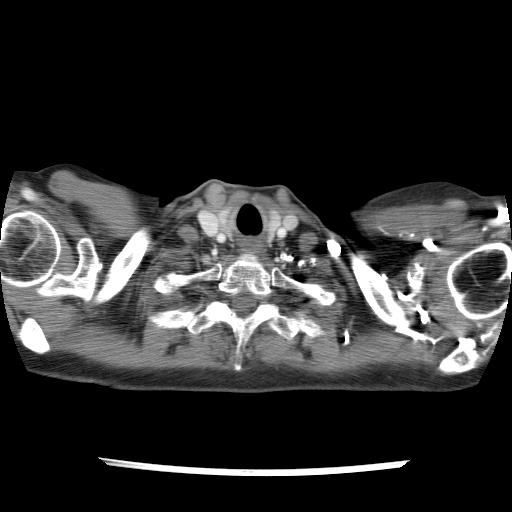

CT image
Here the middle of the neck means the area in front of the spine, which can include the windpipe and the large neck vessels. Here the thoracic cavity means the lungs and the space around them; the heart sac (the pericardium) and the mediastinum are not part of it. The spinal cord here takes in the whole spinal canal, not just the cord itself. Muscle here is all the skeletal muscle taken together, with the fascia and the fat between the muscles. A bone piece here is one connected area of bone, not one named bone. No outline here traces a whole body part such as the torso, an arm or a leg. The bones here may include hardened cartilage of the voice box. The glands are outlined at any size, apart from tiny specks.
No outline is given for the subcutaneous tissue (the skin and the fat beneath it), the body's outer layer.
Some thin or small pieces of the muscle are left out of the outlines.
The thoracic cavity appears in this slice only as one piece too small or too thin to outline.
The spinal cord is outlined by 244 290; 257 296; 257 300; 258 301; 257 302; 257 304; 256 305; 255 308; 251 312; 250 312; 248 314; 247 314; 244 316; 241 316; 240 315; 239 315; 231 306; 231 305; 230 304; 230 297; 231 297; 232 296; 234 296. The bones appear in 6 outlined pieces: piece 1: 242 253; 268 271; 321 284; 336 299; 320 305; 275 287; 282 313; 299 311; 326 332; 300 331; 289 340; 263 322; 241 349; 237 371; 226 323; 193 334; 147 317; 193 306; 215 285; 195 281; 166 295; 152 286; 159 275; 225 267, around a hole outlined by 244 290; 257 296; 257 300; 258 301; 257 302; 257 304; 256 305; 255 308; 251 312; 250 312; 248 314; 247 314; 244 316; 241 316; 240 315; 239 315; 231 306; 231 305; 230 304; 230 297; 231 297; 232 296; 234 296; piece 2: 22 210; 40 214; 56 230; 61 249; 54 272; 71 274; 79 259; 77 242; 91 239; 102 264; 97 290; 139 227; 148 227; 151 242; 122 289; 105 302; 94 304; 70 295; 42 296; 32 287; 20 288; 0 279; 0 227; 5 215; piece 3: 498 241; 504 242; 511 247; 511 283; 508 288; 507 303; 504 310; 504 313; 503 314; 501 313; 487 319; 480 319; 479 320; 469 319; 457 310; 454 305; 453 299; 450 295; 446 283; 446 274; 448 266; 456 257; 464 252; 484 243; piece 4: 351 252; 358 254; 361 258; 365 260; 370 266; 378 272; 384 279; 387 280; 389 286; 395 292; 401 306; 405 310; 407 320; 404 326; 400 328; 393 328; 385 323; 375 314; 362 293; 351 269; 350 262; 349 261; 349 255; 348 254; piece 5: 463 344; 470 344; 472 346; 475 347; 476 350; 481 354; 481 362; 480 362; 476 367; 472 368; 467 371; 464 371; 460 373; 457 373; 452 375; 446 375; 441 373; 437 369; 438 365; 440 363; 441 360; 456 346; 462 345; piece 6: 27 317; 31 317; 35 319; 42 328; 43 332; 46 337; 46 339; 50 347; 50 350; 48 352; 46 352; 43 354; 38 354; 32 351; 30 349; 27 348; 25 346; 24 346; 22 344; 20 340; 17 338; 16 334; 20 329; 21 324. The muscle is outlined by 60 169; 124 188; 152 218; 212 183; 268 194; 282 188; 353 248; 384 264; 394 260; 390 242; 364 227; 361 211; 451 197; 505 203; 511 246; 501 240; 478 244; 456 256; 445 274; 453 305; 465 318; 503 315; 493 351; 478 366; 482 354; 475 346; 456 345; 437 365; 445 375; 386 367; 342 377; 263 366; 239 372; 242 349; 263 323; 289 341; 300 332; 308 338; 327 332; 299 310; 282 312; 275 288; 320 306; 337 299; 321 283; 265 267; 252 253; 285 240; 298 219; 244 199; 196 217; 216 244; 243 252; 225 266; 217 261; 190 273; 159 274; 151 286; 166 296; 195 282; 214 285; 193 305; 146 317; 157 328; 185 328; 193 335; 226 324; 235 339; 236 372; 126 371; 68 353; 47 354; 51 347; 35 318; 27 316; 12 333; 3 283; 99 305; 123 289; 152 242; 149 227; 139 226; 97 289; 103 264; 88 236; 76 242; 74 270; 54 271; 62 249; 55 227; 33 209; 4 215; 4 209; 10 183; 43 187 with a hole at 351 252; 358 254; 361 258; 365 260; 370 266; 378 272; 384 279; 387 280; 389 286; 395 292; 401 306; 405 310; 407 320; 404 326; 400 328; 393 328; 385 323; 375 314; 362 293; 351 269; 350 262; 349 261; 349 255; 348 254. The thyroid glands appear in 2 outlined pieces: piece 1: 271 208; 273 208; 277 210; 281 214; 280 215; 280 217; 281 218; 281 221; 280 222; 280 224; 275 230; 271 240; 270 241; 267 241; 266 239; 267 237; 267 228; 268 227; 268 223; 269 222; 269 215; 268 213; 269 212; 269 210; piece 2: 226 208; 229 208; 229 211; 230 212; 227 218; 227 221; 231 229; 233 231; 233 236; 232 237; 230 237; 229 236; 227 232; 220 224; 219 222; 219 220; 216 214; 216 213. The middle of the neck is outlined by 244 200; 257 200; 269 209; 265 238; 267 242; 272 240; 281 224; 281 215; 294 216; 297 219; 297 228; 282 241; 251 253; 227 244; 216 243; 200 227; 198 213; 204 210; 214 212; 219 224; 232 238; 234 231; 228 221; 230 207.